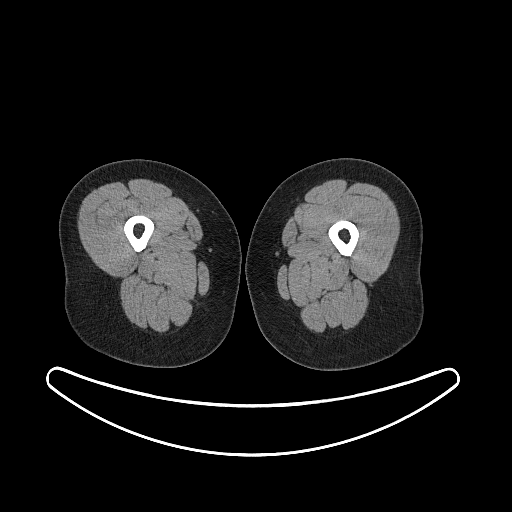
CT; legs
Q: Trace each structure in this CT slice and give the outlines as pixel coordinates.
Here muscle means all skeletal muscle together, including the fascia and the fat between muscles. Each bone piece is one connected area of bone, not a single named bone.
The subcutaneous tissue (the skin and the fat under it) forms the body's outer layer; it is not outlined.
A: {"left_leg":[[[333,158],[359,158],[377,163],[397,175],[413,194],[420,210],[423,227],[420,276],[424,311],[421,327],[415,338],[391,357],[354,369],[326,371],[312,369],[291,361],[280,354],[263,336],[256,322],[248,293],[245,261],[255,221],[275,188],[296,171]]],"muscle":[{"outer":[[132,178],[151,179],[171,188],[173,193],[188,205],[202,227],[204,259],[209,269],[210,286],[189,322],[179,333],[172,336],[151,336],[133,327],[121,307],[118,287],[110,276],[94,264],[79,238],[77,215],[83,198],[92,189],[103,184]],"hole":[[138,214],[142,214],[143,215],[147,216],[152,220],[154,224],[154,228],[153,229],[152,234],[149,238],[146,246],[141,251],[139,251],[138,252],[134,250],[130,244],[129,241],[127,239],[123,230],[123,226],[126,220],[129,217],[133,215],[137,215]]},{"outer":[[336,178],[370,183],[386,192],[397,209],[400,220],[400,234],[389,267],[375,284],[375,289],[369,298],[367,311],[360,323],[347,335],[324,338],[306,331],[298,319],[284,305],[277,291],[276,277],[280,264],[281,233],[286,221],[309,189],[326,180]],"hole":[[340,219],[344,219],[345,220],[348,220],[352,222],[354,224],[355,224],[359,232],[359,237],[358,238],[357,243],[350,256],[345,256],[344,255],[342,255],[333,244],[333,243],[328,236],[328,229],[329,227],[333,223],[334,223],[336,221]]}],"bones":[[[340,219],[344,219],[345,220],[348,220],[352,222],[354,224],[355,224],[359,232],[359,237],[358,238],[357,243],[350,256],[345,256],[344,255],[342,255],[333,244],[333,243],[328,236],[328,229],[329,227],[333,223],[334,223],[336,221]],[[138,214],[142,214],[143,215],[147,216],[152,220],[154,224],[154,228],[153,229],[152,234],[149,238],[146,246],[141,251],[139,251],[138,252],[134,250],[130,244],[129,241],[127,239],[123,230],[123,226],[126,220],[129,217],[133,215],[137,215]]],"right_leg":[[[134,158],[164,162],[196,177],[215,194],[227,210],[239,236],[241,270],[231,327],[224,340],[212,353],[188,365],[167,368],[146,367],[126,363],[100,353],[78,337],[68,321],[64,308],[65,274],[58,235],[63,202],[71,188],[89,171],[109,162]]]}